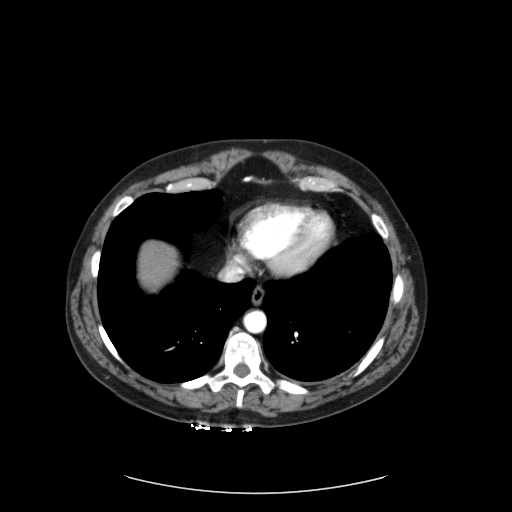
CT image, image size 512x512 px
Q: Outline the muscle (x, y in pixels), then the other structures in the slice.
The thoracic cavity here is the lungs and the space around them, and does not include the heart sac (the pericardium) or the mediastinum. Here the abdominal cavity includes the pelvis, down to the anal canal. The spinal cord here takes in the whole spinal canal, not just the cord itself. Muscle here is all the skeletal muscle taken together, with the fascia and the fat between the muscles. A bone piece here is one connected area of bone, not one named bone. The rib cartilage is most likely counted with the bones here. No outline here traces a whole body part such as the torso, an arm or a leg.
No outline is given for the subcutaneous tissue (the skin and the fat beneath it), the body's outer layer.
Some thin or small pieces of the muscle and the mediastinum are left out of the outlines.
A: {"muscle":[[[231,147],[284,150],[305,163],[332,168],[355,182],[380,203],[387,214],[402,251],[408,257],[404,265],[413,280],[419,321],[415,338],[404,357],[371,384],[313,408],[280,412],[272,417],[242,409],[244,388],[249,384],[257,385],[265,395],[275,388],[289,394],[306,395],[310,391],[305,384],[325,384],[348,372],[350,378],[358,376],[382,349],[386,337],[377,336],[389,303],[396,305],[405,287],[402,274],[393,275],[392,260],[385,243],[389,230],[379,214],[372,212],[369,216],[342,193],[343,189],[334,180],[324,176],[294,177],[291,180],[295,186],[290,185],[283,181],[290,179],[275,164],[258,156],[237,164],[219,182],[202,175],[191,176],[168,182],[163,191],[146,192],[136,198],[123,195],[111,212],[113,219],[102,248],[96,248],[89,261],[91,276],[97,281],[101,320],[97,329],[110,354],[127,369],[159,383],[179,383],[183,389],[193,390],[207,385],[217,393],[225,384],[232,383],[237,387],[235,407],[207,412],[157,400],[102,367],[76,335],[70,295],[95,226],[112,201],[138,181]]],"bones":[{"outer":[[234,328],[234,332],[246,332],[258,341],[273,378],[297,383],[309,392],[295,394],[275,387],[265,394],[257,384],[249,383],[243,388],[242,406],[237,408],[238,387],[232,382],[225,383],[217,392],[207,384],[193,389],[181,387],[181,382],[212,371]],"hole":[[240,363],[243,363],[244,364],[245,364],[248,367],[248,368],[249,369],[249,372],[246,375],[245,375],[244,376],[243,376],[242,377],[240,377],[239,376],[238,376],[234,372],[234,369],[235,368],[235,367],[238,364],[239,364]]},[[199,176],[206,177],[212,180],[217,180],[218,183],[217,185],[213,188],[210,189],[203,189],[202,190],[189,190],[188,191],[184,191],[178,193],[169,193],[164,191],[165,186],[170,182],[175,182],[181,179],[190,178],[191,177],[198,177]],[[308,175],[311,175],[312,176],[318,176],[319,177],[324,177],[330,180],[332,180],[342,189],[342,191],[341,192],[336,192],[335,191],[318,192],[317,191],[312,191],[311,190],[302,191],[296,186],[296,183],[292,180],[294,178],[300,178]],[[381,336],[384,336],[385,337],[384,339],[384,342],[383,343],[383,345],[381,349],[378,352],[374,359],[362,372],[361,372],[355,377],[350,377],[348,376],[348,374],[357,366],[361,359],[366,354],[366,353],[371,347],[371,346],[376,340],[376,339]],[[99,323],[101,323],[102,324],[109,339],[113,344],[118,354],[129,366],[128,368],[127,368],[124,365],[123,365],[120,362],[119,362],[111,354],[111,353],[108,350],[108,349],[104,344],[104,342],[99,333],[99,330],[98,329],[98,324]],[[398,273],[400,273],[403,278],[403,281],[404,282],[404,287],[403,288],[403,293],[402,294],[402,296],[400,300],[396,304],[394,304],[390,302],[390,294],[391,293],[391,291],[392,290],[392,287],[393,286],[393,279],[394,277]],[[372,213],[375,213],[376,214],[379,215],[382,218],[384,223],[387,227],[387,229],[388,230],[388,238],[385,242],[382,238],[382,237],[377,232],[376,229],[372,224],[372,222],[370,219],[370,215]],[[125,195],[130,195],[131,196],[132,196],[134,198],[134,200],[127,207],[126,207],[121,212],[120,212],[115,217],[113,217],[112,216],[112,212],[113,211],[113,210],[114,209],[114,207],[115,206],[115,205],[117,203],[117,202],[123,196],[124,196]],[[96,249],[100,249],[101,250],[101,253],[100,254],[100,258],[99,259],[99,267],[98,268],[98,273],[97,274],[97,279],[94,279],[91,273],[91,264],[90,263],[90,261],[91,260],[91,257],[92,256],[92,254]],[[245,175],[252,175],[253,176],[254,176],[256,178],[257,178],[257,179],[258,180],[265,180],[265,182],[264,183],[258,183],[257,182],[255,182],[254,181],[251,181],[250,182],[244,182],[242,180],[242,178]]],"mediastinum":[[[229,174],[244,183],[341,193],[376,231],[338,244],[334,209],[299,197],[259,197],[231,213],[228,258],[271,279],[261,302],[262,349],[248,332],[231,329],[250,306],[255,281],[225,282],[185,268],[194,234],[220,214],[224,193],[216,187]]],"spinal_cord":[[[240,363],[243,363],[244,364],[245,364],[248,367],[248,368],[249,369],[249,372],[246,375],[245,375],[244,376],[243,376],[242,377],[240,377],[239,376],[238,376],[234,372],[234,369],[235,368],[235,367],[238,364],[239,364]]],"thoracic_cavity":[[[214,188],[223,193],[219,214],[193,234],[188,259],[173,243],[148,237],[137,248],[134,278],[151,296],[186,268],[225,283],[252,279],[250,304],[230,328],[211,371],[180,382],[159,382],[130,367],[102,323],[97,280],[104,241],[114,218],[146,193]],[[374,232],[381,237],[388,250],[393,276],[387,311],[375,340],[355,367],[331,381],[308,382],[304,386],[274,376],[263,355],[263,340],[268,324],[268,318],[262,306],[266,293],[266,282],[269,280],[284,281],[301,275],[311,269],[331,248],[349,238]]],"pericardium":[[[272,197],[282,197],[290,199],[299,198],[322,202],[333,209],[339,220],[340,233],[337,244],[326,251],[307,271],[284,280],[272,279],[246,269],[245,267],[231,260],[226,250],[227,246],[226,232],[229,225],[230,216],[232,213],[243,204],[252,200]]],"abdominal_cavity":[[[148,238],[155,238],[173,244],[180,250],[184,258],[184,268],[179,272],[175,280],[171,284],[166,286],[162,289],[159,293],[155,295],[151,295],[150,294],[144,293],[138,287],[135,278],[136,254],[140,244],[144,240]],[[255,157],[258,157],[262,159],[265,159],[271,162],[289,179],[288,180],[258,179],[256,176],[252,174],[245,174],[244,175],[242,175],[240,177],[234,177],[233,176],[231,176],[230,175],[230,171],[237,165],[244,163],[247,160],[254,158]]]}